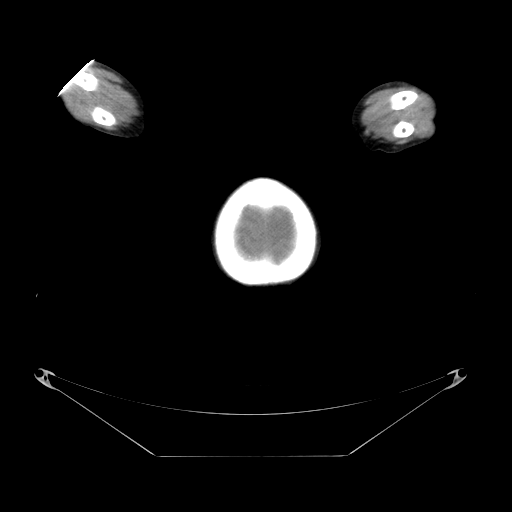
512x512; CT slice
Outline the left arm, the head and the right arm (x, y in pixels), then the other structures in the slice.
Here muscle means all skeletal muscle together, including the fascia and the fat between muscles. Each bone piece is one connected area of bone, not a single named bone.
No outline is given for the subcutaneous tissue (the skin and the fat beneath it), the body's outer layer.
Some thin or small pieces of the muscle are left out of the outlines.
The left arm is outlined by [[390,80],[407,80],[413,82],[427,90],[434,96],[438,104],[438,113],[435,119],[437,125],[437,131],[435,135],[428,141],[396,153],[386,153],[379,150],[371,151],[364,146],[360,138],[353,130],[350,123],[350,115],[354,105],[366,91],[378,84]]. The head is outlined by [[254,176],[272,176],[294,187],[309,202],[321,226],[323,232],[323,243],[317,263],[309,273],[292,285],[267,288],[242,287],[226,279],[218,271],[214,263],[214,260],[212,258],[209,243],[210,230],[212,220],[219,205],[225,196],[233,188],[244,180]]. The right arm is outlined by [[94,59],[103,62],[121,72],[136,86],[142,94],[145,103],[145,130],[141,136],[137,138],[123,138],[122,137],[118,137],[102,133],[89,127],[81,125],[72,119],[64,109],[62,105],[62,102],[58,97],[59,92],[70,79],[83,66]]. The muscle appears in 2 outlined pieces: piece 1: [[405,85],[407,86],[411,86],[418,89],[420,91],[426,94],[431,99],[433,103],[433,114],[431,118],[431,121],[432,122],[432,130],[430,132],[430,133],[428,135],[424,137],[416,138],[407,143],[386,143],[383,141],[381,141],[380,140],[369,137],[362,129],[361,125],[360,124],[360,115],[359,114],[359,112],[364,101],[371,94],[379,90],[385,89],[386,88],[390,88],[391,87],[398,87],[399,86],[404,86]] with holes at [[407,89],[410,89],[411,90],[414,90],[416,91],[418,93],[419,95],[419,97],[412,104],[407,106],[405,108],[403,108],[402,109],[391,109],[390,107],[390,103],[389,102],[389,97],[392,94],[398,91],[400,91],[401,90],[406,90]] and at [[401,120],[404,120],[405,121],[408,121],[409,122],[412,123],[414,125],[414,127],[415,128],[414,131],[410,135],[409,135],[406,137],[396,137],[395,136],[394,136],[392,133],[392,130],[393,129],[393,127],[394,126],[394,125]]; piece 2: [[86,64],[110,71],[123,80],[136,99],[138,105],[139,113],[131,125],[120,129],[108,129],[84,121],[73,113],[66,101],[64,91],[64,86],[70,79],[71,78],[72,83],[76,87],[86,92],[96,91],[100,83],[99,78],[94,73],[81,68]]; inner edge: [[94,106],[100,106],[104,108],[106,110],[108,110],[110,112],[111,112],[113,114],[113,115],[116,119],[116,123],[114,125],[112,125],[111,126],[105,126],[104,125],[102,125],[101,124],[99,124],[95,122],[92,119],[89,113],[89,111],[91,110]]. The bones appear in 5 outlined pieces: piece 1: [[256,176],[272,177],[280,180],[291,187],[305,201],[315,219],[317,227],[316,252],[310,266],[300,276],[295,279],[271,284],[261,284],[260,285],[243,284],[230,277],[222,269],[216,258],[213,246],[213,228],[217,214],[228,195],[237,186],[245,180]], around a hole outlined by [[248,206],[256,207],[265,211],[270,210],[275,207],[281,207],[287,210],[290,214],[293,230],[291,248],[286,255],[278,261],[276,261],[271,255],[267,254],[261,255],[259,257],[256,256],[255,257],[250,257],[245,255],[238,246],[236,230],[243,211]]; piece 2: [[407,89],[410,89],[411,90],[414,90],[416,91],[418,93],[419,95],[419,97],[412,104],[407,106],[405,108],[403,108],[402,109],[391,109],[390,107],[390,103],[389,102],[389,97],[392,94],[398,91],[400,91],[401,90],[406,90]]; piece 3: [[81,69],[82,70],[86,70],[87,71],[89,71],[91,72],[98,78],[99,80],[99,83],[98,84],[98,86],[96,90],[94,91],[86,91],[82,89],[80,87],[78,86],[76,86],[73,83],[73,80],[72,79],[72,77],[79,70]]; piece 4: [[94,106],[100,106],[104,108],[106,110],[108,110],[110,112],[111,112],[113,114],[113,115],[116,119],[116,123],[114,125],[112,125],[111,126],[105,126],[104,125],[102,125],[101,124],[99,124],[95,122],[92,119],[89,113],[89,111],[91,110]]; piece 5: [[401,120],[404,120],[405,121],[408,121],[409,122],[412,123],[414,125],[414,127],[415,128],[414,131],[410,135],[409,135],[406,137],[396,137],[395,136],[394,136],[392,133],[392,130],[393,129],[393,127],[394,126],[394,125]]. The brain is outlined by [[248,206],[256,207],[265,211],[270,210],[275,207],[281,207],[287,210],[290,214],[293,230],[291,248],[286,255],[278,261],[276,261],[271,255],[267,254],[261,255],[259,257],[256,256],[255,257],[250,257],[245,255],[238,246],[236,230],[243,211]].